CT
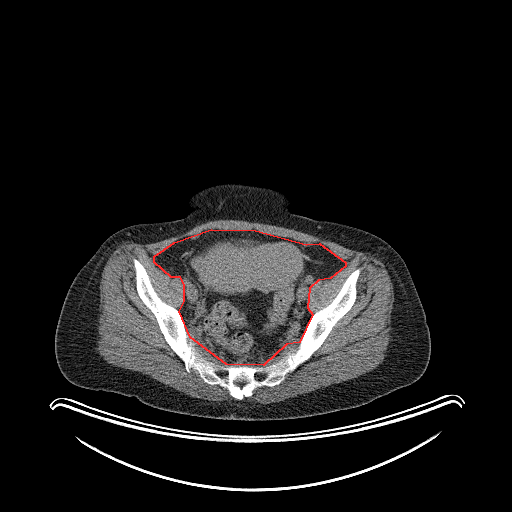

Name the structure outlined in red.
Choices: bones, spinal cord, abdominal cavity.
red: abdominal cavity.
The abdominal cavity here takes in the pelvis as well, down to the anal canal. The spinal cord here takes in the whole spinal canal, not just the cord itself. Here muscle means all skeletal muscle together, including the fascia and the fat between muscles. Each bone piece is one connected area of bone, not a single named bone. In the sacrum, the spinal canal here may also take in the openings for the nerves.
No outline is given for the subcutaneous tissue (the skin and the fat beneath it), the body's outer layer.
{"abdominal_cavity":[[[211,229],[255,230],[306,244],[319,243],[345,262],[345,266],[330,278],[318,280],[309,288],[307,307],[312,314],[299,342],[286,344],[263,365],[226,364],[190,337],[179,311],[184,301],[184,284],[180,277],[171,277],[154,262],[154,256],[174,242]]],"spinal_cord":[[[236,381],[237,381],[238,381],[239,381],[240,381],[241,381],[242,381],[243,381],[244,381],[245,382],[246,382],[245,383],[244,384],[243,385],[242,386],[241,386],[240,386],[239,386],[238,385],[237,384],[236,384],[236,383],[235,382]],[[222,371],[223,371],[224,372],[225,372],[225,373],[226,374],[226,375],[225,376],[225,377],[224,377],[223,378],[222,378],[221,377],[220,377],[220,376],[219,375],[219,374],[220,373],[220,372],[221,372]],[[259,374],[260,374],[261,375],[262,375],[262,376],[263,377],[263,378],[262,379],[262,380],[261,380],[260,381],[259,381],[258,380],[257,380],[257,379],[256,378],[256,377],[257,376],[257,375],[258,375]]],"muscle":[[[219,219],[294,229],[380,260],[394,292],[391,339],[383,361],[355,378],[282,401],[241,400],[257,388],[279,385],[323,344],[355,303],[361,268],[312,313],[310,288],[344,268],[343,259],[319,242],[219,228],[184,236],[153,256],[158,268],[183,284],[178,309],[159,296],[144,265],[135,257],[132,262],[136,292],[185,370],[238,400],[192,397],[104,360],[95,349],[99,284],[112,252],[124,241],[153,243]],[[295,341],[297,341],[298,342],[297,347],[295,349],[295,350],[287,352],[284,356],[283,356],[280,359],[279,359],[275,362],[273,362],[270,364],[267,364],[266,365],[262,364],[263,364],[264,362],[267,361],[274,354],[278,354],[286,345],[290,345]],[[195,340],[199,342],[200,344],[204,346],[210,352],[210,353],[212,355],[214,356],[215,355],[219,360],[221,360],[225,362],[225,364],[219,364],[211,360],[208,360],[205,357],[204,357],[203,355],[197,349],[197,348],[195,346],[195,343],[194,342]]],"bones":[{"outer":[[134,258],[145,268],[158,296],[178,310],[196,349],[219,365],[266,366],[295,351],[310,317],[332,301],[353,271],[360,268],[360,272],[354,303],[311,356],[279,384],[257,387],[250,396],[239,400],[226,388],[205,382],[196,371],[186,370],[137,292]],"hole":[[236,381],[237,381],[238,381],[239,381],[240,381],[241,381],[242,381],[243,381],[244,381],[245,382],[246,382],[245,383],[244,384],[243,385],[242,386],[241,386],[240,386],[239,386],[238,385],[237,384],[236,384],[236,383],[235,382]]}],"torso":[[[222,183],[275,189],[293,201],[294,213],[357,227],[393,247],[408,268],[429,327],[431,353],[421,377],[357,407],[278,420],[176,413],[133,396],[68,381],[56,361],[54,338],[63,301],[81,267],[116,231],[179,219],[188,212],[185,205],[194,193]]]}